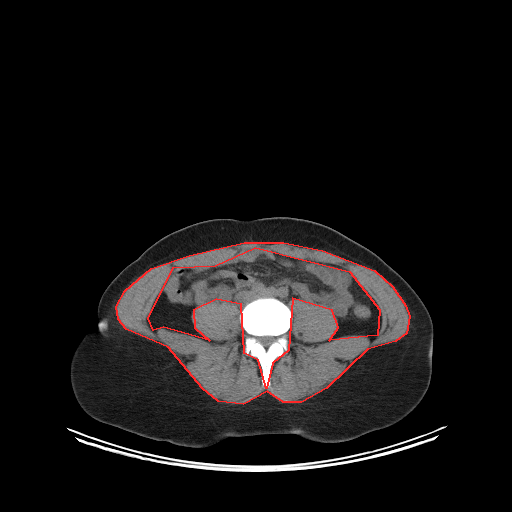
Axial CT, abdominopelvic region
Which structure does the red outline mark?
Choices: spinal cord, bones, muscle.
red: muscle.
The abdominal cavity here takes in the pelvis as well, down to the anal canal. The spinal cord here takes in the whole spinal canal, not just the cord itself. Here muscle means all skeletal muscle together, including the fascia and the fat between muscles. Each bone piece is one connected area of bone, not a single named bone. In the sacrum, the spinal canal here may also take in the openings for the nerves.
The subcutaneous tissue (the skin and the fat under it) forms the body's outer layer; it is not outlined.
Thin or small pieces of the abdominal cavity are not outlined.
The muscle is outlined by [[244,242],[283,242],[322,250],[374,270],[392,286],[405,305],[409,316],[406,333],[395,341],[367,349],[326,388],[301,402],[283,402],[267,391],[243,404],[218,401],[202,388],[168,347],[126,329],[118,319],[116,306],[125,290],[151,268],[189,255]], around a hole outlined by [[255,247],[349,271],[379,309],[377,335],[329,340],[338,327],[332,310],[292,298],[288,350],[272,363],[266,388],[258,360],[244,353],[241,304],[216,299],[193,310],[194,327],[209,340],[163,327],[153,330],[148,318],[173,267],[215,265]]. The spinal cord is outlined by [[260,336],[273,336],[274,337],[275,337],[275,340],[272,343],[271,343],[267,347],[265,347],[257,339],[257,337],[259,337]]. The abdominal cavity is outlined by [[255,247],[349,271],[379,309],[377,335],[371,340],[363,334],[329,340],[338,327],[331,309],[300,298],[287,304],[273,296],[256,297],[242,308],[229,299],[196,307],[191,321],[209,340],[163,327],[153,330],[148,318],[173,267],[215,265],[240,250]]. The torso is outlined by [[273,216],[307,219],[341,232],[383,259],[420,297],[433,324],[432,372],[414,409],[390,426],[348,441],[260,434],[229,437],[202,448],[146,438],[88,415],[72,391],[70,361],[84,335],[96,328],[100,297],[114,277],[158,239],[187,225],[214,218]]. The bones are outlined by [[259,297],[276,298],[286,304],[292,313],[291,326],[285,334],[288,341],[288,350],[272,363],[270,369],[270,385],[267,388],[262,385],[262,370],[258,360],[255,357],[244,353],[244,340],[247,334],[239,321],[239,315],[243,307],[248,302]], around a hole outlined by [[260,336],[273,336],[274,337],[275,337],[275,340],[272,343],[271,343],[267,347],[265,347],[257,339],[257,337],[259,337]].